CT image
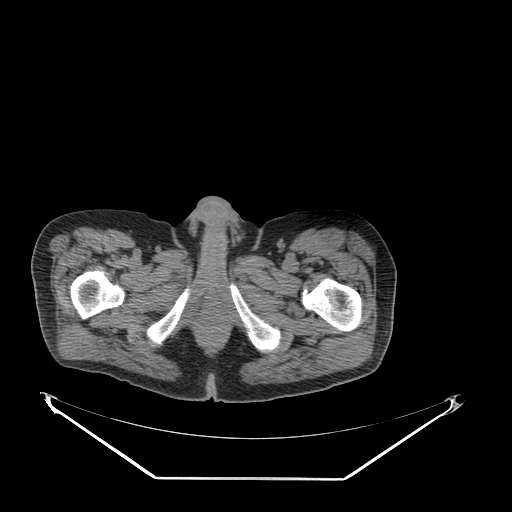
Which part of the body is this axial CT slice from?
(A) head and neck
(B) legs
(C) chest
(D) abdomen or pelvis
Answer: (D) abdomen or pelvis
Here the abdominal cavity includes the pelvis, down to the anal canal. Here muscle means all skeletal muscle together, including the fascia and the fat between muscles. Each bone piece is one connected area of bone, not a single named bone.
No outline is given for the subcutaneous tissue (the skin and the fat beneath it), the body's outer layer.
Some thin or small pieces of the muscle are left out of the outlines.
The torso is outlined by (206, 195) (224, 198) (259, 226) (293, 211) (339, 209) (365, 218) (378, 230) (395, 260) (397, 283) (391, 339) (375, 371) (322, 391) (225, 403) (169, 398) (105, 374) (61, 366) (52, 358) (41, 334) (30, 272) (44, 225) (58, 215) (92, 208) (141, 211) (174, 225). The bones appear in 4 outlined pieces: piece 1: (327, 277) (333, 278) (341, 283) (344, 283) (351, 286) (357, 290) (362, 299) (362, 319) (363, 320) (356, 328) (351, 331) (338, 332) (333, 326) (328, 323) (323, 318) (314, 311) (312, 310) (307, 310) (302, 304) (301, 294) (304, 288) (306, 288) (309, 291) (321, 280); piece 2: (86, 270) (101, 270) (103, 271) (107, 278) (112, 283) (118, 284) (123, 288) (125, 292) (125, 297) (123, 302) (120, 305) (112, 308) (105, 309) (99, 313) (97, 313) (95, 315) (93, 315) (84, 320) (79, 316) (71, 301) (70, 297) (70, 285) (72, 281) (78, 275); piece 3: (231, 282) (233, 282) (236, 285) (239, 292) (247, 303) (249, 308) (256, 315) (272, 326) (275, 326) (279, 328) (281, 333) (281, 338) (278, 346) (275, 349) (267, 352) (261, 352) (256, 349) (251, 343) (246, 334) (246, 328) (240, 318) (231, 297) (230, 290) (228, 286); piece 4: (187, 286) (189, 286) (191, 289) (190, 295) (184, 306) (184, 308) (180, 315) (180, 317) (175, 327) (173, 329) (171, 333) (162, 342) (162, 344) (161, 345) (158, 345) (154, 343) (147, 337) (146, 335) (146, 329) (152, 323) (161, 318) (170, 310) (179, 295). The abdominal cavity is outlined by (213, 300) (217, 301) (219, 303) (219, 309) (220, 311) (225, 314) (227, 318) (227, 331) (219, 345) (214, 349) (211, 350) (208, 349) (202, 343) (200, 337) (198, 335) (198, 322) (200, 321) (200, 319) (202, 317) (202, 313) (204, 311) (204, 308) (206, 307) (206, 305). The muscle is outlined by (88, 223) (130, 234) (145, 253) (169, 247) (184, 250) (212, 273) (239, 255) (277, 259) (308, 229) (356, 233) (377, 253) (378, 316) (372, 357) (351, 369) (293, 382) (250, 385) (240, 381) (241, 365) (256, 358) (256, 350) (275, 350) (282, 333) (250, 308) (231, 281) (227, 286) (245, 334) (234, 326) (224, 347) (210, 357) (197, 345) (191, 330) (182, 328) (163, 350) (183, 373) (176, 381) (100, 361) (64, 359) (56, 349) (48, 246) (63, 228) with holes at (327, 277) (333, 278) (341, 283) (344, 283) (351, 286) (357, 290) (362, 299) (362, 319) (363, 320) (356, 328) (351, 331) (338, 332) (333, 326) (328, 323) (323, 318) (314, 311) (312, 310) (307, 310) (302, 304) (301, 294) (304, 288) (306, 288) (309, 291) (321, 280) and at (86, 270) (101, 270) (103, 271) (107, 278) (112, 283) (118, 284) (123, 288) (125, 292) (125, 297) (123, 302) (120, 305) (112, 308) (105, 309) (99, 313) (97, 313) (95, 315) (93, 315) (84, 320) (79, 316) (71, 301) (70, 297) (70, 285) (72, 281) (78, 275) and at (213, 300) (217, 301) (219, 303) (219, 309) (220, 311) (225, 314) (227, 318) (227, 331) (219, 345) (214, 349) (211, 350) (208, 349) (202, 343) (200, 337) (198, 335) (198, 322) (200, 321) (200, 319) (202, 317) (202, 313) (204, 311) (204, 308) (206, 307) (206, 305) and at (187, 286) (189, 286) (191, 289) (190, 295) (184, 306) (184, 308) (180, 315) (180, 317) (175, 327) (173, 329) (171, 333) (162, 342) (162, 344) (161, 345) (158, 345) (154, 343) (147, 337) (146, 335) (146, 329) (152, 323) (161, 318) (170, 310) (179, 295).